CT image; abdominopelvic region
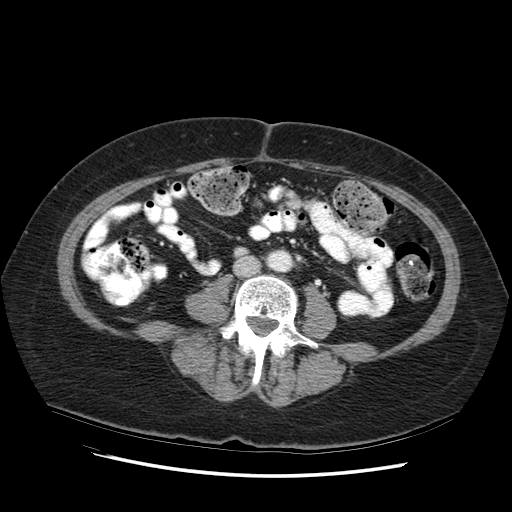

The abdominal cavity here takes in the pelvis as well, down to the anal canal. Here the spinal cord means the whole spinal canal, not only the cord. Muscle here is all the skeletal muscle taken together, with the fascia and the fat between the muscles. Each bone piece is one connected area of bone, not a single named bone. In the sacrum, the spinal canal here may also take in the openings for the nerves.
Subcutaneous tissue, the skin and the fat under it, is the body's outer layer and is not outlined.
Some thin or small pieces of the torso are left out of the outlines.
The muscle appears in 2 outlined pieces: piece 1: 276,408 288,405 295,401 306,397 310,397 315,394 319,395 335,386 340,385 343,381 341,378 346,372 349,365 353,362 357,363 362,362 363,363 383,359 390,356 397,356 401,353 408,351 413,347 433,339 445,329 446,325 449,322 454,312 460,288 461,282 460,262 458,252 451,235 433,211 413,195 400,187 393,184 387,184 375,178 347,169 343,166 327,165 309,160 297,159 296,158 274,158 265,153 261,153 253,157 217,157 212,159 190,163 175,168 165,169 152,173 148,176 129,180 121,183 100,194 88,203 72,219 65,230 59,244 56,259 58,282 61,290 60,292 66,301 67,305 76,317 79,318 91,328 99,332 107,333 114,336 131,340 142,339 153,343 157,346 160,354 166,360 168,361 169,360 176,367 179,373 183,377 188,378 195,382 206,394 217,401 230,402 237,399 240,399 252,393 255,394 266,404, around a hole outlined by 251,385 268,349 283,357 296,344 318,347 300,332 301,288 310,283 337,314 326,342 381,351 417,330 444,281 427,226 361,180 271,162 168,177 100,214 74,256 88,307 128,329 151,319 218,327 254,357; piece 2: 203,324 204,323 220,321 231,297 231,289 233,287 233,284 232,283 232,278 230,275 228,274 220,275 214,280 208,282 206,284 207,285 206,287 202,290 192,294 189,294 186,296 184,302 186,311 192,318. The bones are outlined by 251,385 256,385 259,381 268,349 276,356 283,357 296,344 305,344 312,348 319,345 300,333 294,324 298,306 295,289 269,274 242,282 233,294 235,303 232,318 218,329 223,338 235,338 242,353 254,357; inner edge: 260,336 264,336 266,335 271,330 274,329 277,326 277,322 275,320 272,320 268,318 260,318 259,317 249,317 247,320 248,321 248,324 251,327 253,331 256,334. The torso is outlined by 305,450 371,443 451,417 477,384 499,335 508,292 479,225 459,195 433,169 392,144 307,121 267,123 228,115 172,119 118,136 78,161 37,205 1,276 12,335 46,403 147,435 213,444 235,439 257,448. The abdominal cavity is outlined by 380,351 424,323 440,297 444,263 427,226 361,180 271,162 212,166 134,192 78,242 74,271 87,305 117,327 151,319 219,327 241,282 269,273 296,289 300,332 301,288 310,283 337,314 324,341 361,340, around a hole outlined by 203,324 204,323 220,321 231,297 231,289 233,287 233,284 232,283 232,278 230,275 228,274 220,275 214,280 208,282 206,284 207,285 206,287 202,290 192,294 189,294 186,296 184,302 186,311 192,318. The spinal cord is outlined by 260,336 264,336 266,335 271,330 274,329 277,326 277,322 275,320 272,320 268,318 260,318 259,317 249,317 247,320 248,321 248,324 251,327 253,331 256,334.